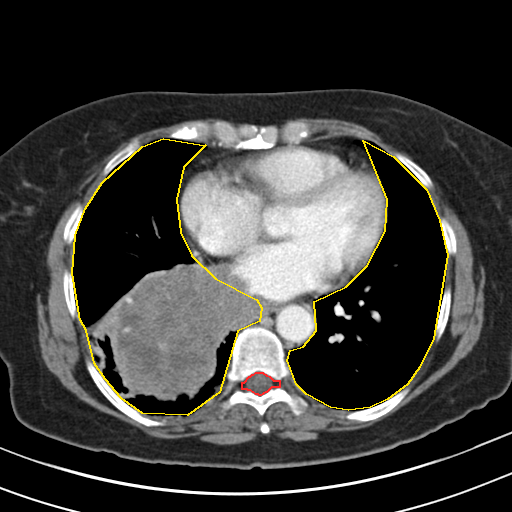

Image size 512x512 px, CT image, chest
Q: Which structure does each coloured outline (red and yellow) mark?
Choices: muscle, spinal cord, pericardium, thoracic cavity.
A: red: spinal cord; yellow: thoracic cavity.
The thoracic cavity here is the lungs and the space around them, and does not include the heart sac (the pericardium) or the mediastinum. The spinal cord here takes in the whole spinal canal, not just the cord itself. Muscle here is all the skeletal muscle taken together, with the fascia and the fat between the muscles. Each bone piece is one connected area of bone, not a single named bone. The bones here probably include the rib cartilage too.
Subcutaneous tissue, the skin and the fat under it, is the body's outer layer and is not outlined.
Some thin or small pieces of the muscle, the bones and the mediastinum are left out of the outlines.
Outlines:
spinal cord: 256 372; 262 372; 266 375; 269 376; 273 380; 279 380; 279 387; 271 387; 266 392; 265 392; 260 395; 259 395; 258 394; 256 394; 250 390; 248 390; 247 389; 242 389; 242 382; 244 382; 249 376; 250 376; 252 374; 253 374
thoracic cavity 1: 163 138; 205 145; 183 167; 176 199; 180 232; 191 255; 215 278; 256 299; 261 307; 259 321; 237 331; 219 392; 187 415; 142 413; 121 398; 105 379; 94 363; 86 330; 80 320; 72 273; 75 235; 85 208; 102 182; 142 146
thoracic cavity 2: 363 140; 393 156; 426 189; 439 220; 447 255; 433 338; 419 367; 407 384; 387 399; 370 407; 348 410; 330 407; 306 394; 296 384; 287 360; 290 350; 303 346; 316 330; 314 301; 346 286; 367 265; 385 231; 387 199
muscle 1: 207 118; 243 124; 221 119; 197 120; 143 145; 134 136; 105 164; 101 172; 105 177; 97 190; 85 207; 80 202; 75 205; 63 227; 63 241; 73 245; 72 271; 65 268; 62 274; 64 300; 70 316; 80 321; 85 330; 93 360; 86 358; 85 368; 114 407; 146 427; 163 426; 164 419; 148 416; 192 414; 217 395; 226 380; 221 392; 223 397; 238 385; 221 402; 221 419; 237 404; 251 406; 262 417; 269 406; 282 402; 294 415; 301 415; 309 402; 283 385; 294 382; 306 395; 335 409; 347 420; 367 422; 391 411; 411 390; 408 383; 433 339; 438 342; 442 337; 452 303; 452 288; 445 285; 445 280; 447 256; 456 254; 457 240; 448 219; 438 217; 434 209; 427 190; 434 186; 430 176; 479 241; 485 273; 484 321; 472 349; 437 381; 382 420; 367 427; 302 441; 266 435; 270 426; 264 420; 259 425; 262 435; 236 444; 160 438; 96 409; 67 389; 45 365; 37 337; 36 273; 60 216; 80 184; 121 143; 148 130
muscle 2: 302 117; 335 118; 357 123; 378 134; 386 142; 405 152; 415 161; 399 151; 395 151; 391 154; 370 140; 361 139; 351 135; 322 135; 319 137; 310 137; 312 136; 313 131; 310 124; 306 121; 289 120; 281 126; 272 124; 286 119
bones 1: 254 326; 273 332; 281 342; 294 381; 290 385; 282 385; 308 402; 301 414; 294 414; 285 402; 277 401; 269 405; 262 416; 251 405; 237 403; 220 417; 222 402; 239 385; 236 383; 226 395; 222 395; 234 340; 238 333 with a hole at 256 372; 262 372; 266 375; 269 376; 273 380; 279 380; 279 387; 271 387; 266 392; 265 392; 260 395; 259 395; 258 394; 256 394; 250 390; 248 390; 247 389; 242 389; 242 382; 244 382; 249 376; 250 376; 252 374; 253 374
bones 2: 218 120; 226 121; 236 126; 254 124; 258 127; 271 125; 281 127; 289 121; 302 121; 309 124; 312 134; 299 142; 280 141; 272 147; 263 149; 235 149; 214 145; 210 140; 204 142; 168 137; 170 132; 184 124; 197 121; 212 123
bones 3: 86 359; 90 360; 94 364; 96 368; 101 371; 104 379; 111 386; 117 395; 128 405; 139 411; 143 415; 159 421; 164 420; 165 423; 163 425; 158 425; 157 426; 146 426; 126 415; 114 406; 100 391; 90 376; 86 368; 85 363
bones 4: 407 385; 410 386; 410 390; 407 394; 391 410; 375 419; 372 419; 367 421; 352 420; 351 419; 347 419; 344 417; 341 417; 339 414; 335 411; 337 410; 343 410; 345 412; 349 412; 350 411; 362 410; 363 409; 373 407; 387 400
bones 5: 445 286; 450 286; 451 288; 451 303; 449 309; 449 315; 444 331; 441 337; 438 341; 435 341; 434 340; 434 334; 435 333; 435 330; 438 321; 438 317; 440 312; 440 308; 441 307; 441 303; 443 298; 443 294; 444 293
bones 6: 134 137; 137 137; 139 139; 140 143; 141 144; 141 146; 133 153; 132 153; 129 156; 128 156; 125 159; 120 162; 116 166; 115 166; 107 174; 106 176; 104 176; 102 172; 106 164; 121 149; 122 149; 129 142; 130 142
bones 7: 65 269; 68 269; 72 274; 73 294; 74 295; 75 305; 76 306; 76 310; 79 317; 79 320; 78 320; 76 318; 73 318; 71 316; 69 312; 66 301; 65 300; 65 296; 64 295; 64 291; 63 290; 63 274; 64 273; 64 270
bones 8: 395 152; 399 152; 401 153; 403 155; 406 156; 408 158; 415 162; 420 167; 421 167; 427 173; 427 174; 431 179; 432 183; 433 184; 433 186; 431 188; 426 188; 422 184; 422 183; 418 179; 418 178; 404 164; 403 164; 392 154
bones 9: 78 203; 82 204; 83 205; 84 209; 82 212; 81 217; 79 220; 79 222; 78 223; 78 225; 77 226; 77 228; 74 235; 73 242; 72 244; 68 244; 64 241; 64 239; 63 238; 63 231; 64 230; 65 224; 68 218
bones 10: 440 217; 444 217; 446 218; 451 225; 454 231; 455 239; 456 240; 456 252; 455 254; 453 255; 448 255; 447 254; 447 249; 446 248; 445 239; 443 235; 443 232; 442 231; 442 228; 441 227; 441 224; 440 223; 440 220; 439 219
pericardium: 300 142; 337 144; 365 156; 380 178; 387 204; 387 222; 370 259; 346 285; 313 297; 273 303; 239 292; 215 277; 207 269; 200 260; 200 256; 190 247; 184 237; 178 213; 178 200; 186 176; 205 158; 235 150; 263 150; 283 144
mediastinum 1: 317 296; 319 296; 313 301; 315 330; 311 337; 303 345; 289 350; 287 359; 285 357; 286 356; 283 344; 273 331; 258 325; 249 326; 258 323; 262 317; 262 307; 259 301; 255 298; 265 300; 273 304; 281 304
mediastinum 2: 322 136; 351 136; 362 140; 360 143; 365 148; 371 160; 371 162; 365 155; 361 153; 359 153; 352 149; 345 147; 343 145; 340 145; 337 143; 332 143; 331 142; 315 142; 314 141; 301 142; 302 140; 304 140; 308 138; 319 138
mediastinum 3: 207 142; 214 146; 215 145; 219 147; 232 148; 234 150; 218 153; 209 157; 205 157; 201 159; 185 176; 185 178; 179 191; 177 205; 177 199; 178 198; 178 194; 181 179; 183 174; 183 169; 197 152; 206 148; 206 145; 204 143
torso: 327 88; 364 88; 398 94; 438 108; 511 145; 511 384; 505 393; 482 408; 393 449; 344 461; 281 469; 145 463; 106 451; 76 447; 22 424; 12 410; 8 372; 0 359; 0 155; 48 119; 114 94; 144 90; 274 92